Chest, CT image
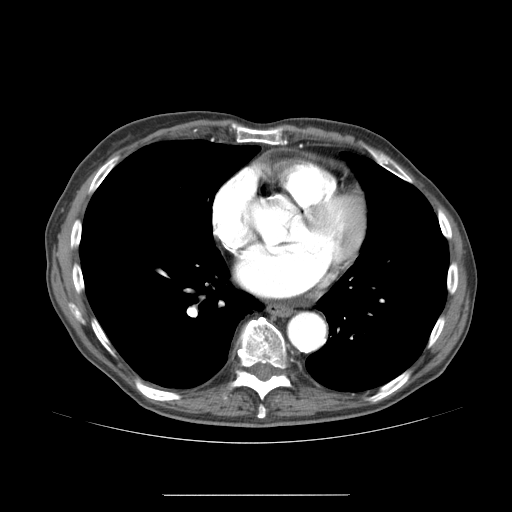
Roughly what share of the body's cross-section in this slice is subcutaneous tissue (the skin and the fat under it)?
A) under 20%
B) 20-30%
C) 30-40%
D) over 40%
Answer: A) under 20%
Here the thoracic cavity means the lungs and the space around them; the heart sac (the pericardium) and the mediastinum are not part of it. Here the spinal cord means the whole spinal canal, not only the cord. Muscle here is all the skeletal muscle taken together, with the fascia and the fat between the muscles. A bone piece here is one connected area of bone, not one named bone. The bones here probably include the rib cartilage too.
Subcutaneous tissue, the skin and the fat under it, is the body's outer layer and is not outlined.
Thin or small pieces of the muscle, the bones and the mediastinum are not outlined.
Outlines:
mediastinum 1: (257, 298) (282, 301) (296, 298) (318, 299) (314, 307) (324, 314) (328, 324) (329, 337) (319, 349) (305, 359) (303, 364) (304, 368) (297, 364) (293, 365) (290, 362) (287, 344) (282, 332) (263, 315) (250, 318) (237, 331) (239, 322) (248, 312) (263, 309) (263, 304)
mediastinum 2: (298, 142) (324, 146) (351, 148) (359, 152) (359, 154) (350, 151) (342, 151) (339, 154) (340, 158) (345, 161) (347, 165) (332, 157) (292, 147) (272, 148) (254, 157) (260, 151) (260, 147) (258, 145) (231, 143) (262, 143) (272, 146) (286, 146) (288, 144)
muscle 1: (102, 163) (88, 186) (87, 194) (91, 196) (82, 221) (76, 218) (71, 226) (70, 247) (78, 249) (79, 255) (79, 263) (72, 264) (71, 277) (75, 291) (78, 294) (84, 291) (94, 315) (90, 319) (93, 333) (114, 358) (118, 357) (116, 351) (138, 375) (134, 385) (149, 399) (179, 400) (182, 395) (173, 390) (191, 389) (209, 381) (225, 372) (236, 355) (238, 365) (233, 371) (234, 378) (225, 383) (225, 390) (230, 392) (248, 387) (261, 401) (275, 388) (293, 387) (285, 372) (290, 364) (304, 378) (330, 390) (359, 393) (377, 388) (365, 398) (371, 403) (405, 384) (413, 372) (410, 367) (425, 347) (429, 349) (435, 343) (443, 330) (446, 318) (442, 311) (448, 293) (452, 295) (457, 289) (459, 272) (457, 262) (450, 262) (448, 241) (452, 238) (452, 228) (448, 217) (440, 206) (436, 213) (434, 211) (398, 163) (441, 202) (459, 230) (469, 285) (469, 305) (463, 330) (441, 363) (389, 398) (370, 405) (318, 411) (312, 415) (260, 419) (266, 416) (262, 402) (257, 408) (257, 418) (188, 413) (151, 403) (87, 349) (58, 305) (51, 285) (52, 250) (56, 235) (77, 191), around a hole outlined by (69, 302) (72, 302) (73, 303) (74, 303) (76, 305) (76, 306) (80, 311) (82, 317) (84, 319) (84, 320) (85, 321) (85, 323) (84, 324) (81, 323) (79, 321) (78, 321) (75, 318) (75, 317) (71, 312) (71, 311) (70, 310) (70, 309) (68, 306) (68, 303)
muscle 2: (198, 119) (211, 119) (212, 120) (232, 119) (243, 124) (235, 121) (233, 121) (230, 124) (228, 131) (232, 134) (234, 142) (224, 141) (213, 135) (202, 137) (196, 136) (161, 139) (140, 147) (120, 161) (121, 157) (118, 154) (106, 160) (115, 151) (156, 130)
muscle 3: (282, 124) (291, 124) (299, 127) (313, 126) (325, 130) (336, 131) (341, 134) (352, 135) (356, 139) (360, 139) (372, 146) (367, 144) (363, 146) (369, 156) (347, 146) (324, 145) (317, 143) (307, 143) (304, 141) (289, 143) (289, 138) (284, 134) (284, 127) (279, 125)
thoracic cavity 1: (209, 136) (234, 145) (259, 147) (215, 193) (211, 227) (229, 280) (236, 288) (254, 296) (263, 307) (248, 311) (238, 322) (236, 354) (225, 371) (191, 388) (165, 390) (148, 385) (126, 362) (92, 310) (80, 265) (82, 222) (92, 195) (112, 169) (132, 153) (161, 140)
thoracic cavity 2: (342, 152) (368, 156) (392, 174) (415, 186) (436, 214) (449, 253) (445, 303) (421, 353) (394, 378) (376, 388) (359, 392) (330, 389) (304, 377) (294, 366) (304, 369) (306, 359) (330, 337) (326, 316) (315, 306) (355, 262) (367, 231) (365, 194) (347, 162) (341, 158)
bones 1: (260, 316) (273, 324) (284, 338) (287, 355) (291, 363) (284, 372) (292, 384) (291, 388) (284, 386) (273, 388) (262, 400) (257, 392) (248, 386) (239, 386) (230, 391) (226, 390) (226, 383) (235, 378) (234, 371) (239, 365) (236, 353) (236, 339) (239, 331) (247, 321) with a hole at (257, 363) (261, 363) (262, 364) (265, 364) (267, 363) (271, 365) (275, 369) (275, 373) (273, 374) (269, 378) (265, 380) (262, 380) (260, 379) (257, 376) (256, 376) (253, 373) (251, 372) (251, 368) (255, 364)
bones 2: (233, 122) (238, 123) (250, 128) (255, 128) (256, 129) (269, 129) (270, 128) (274, 128) (278, 126) (281, 126) (283, 127) (283, 134) (288, 138) (288, 143) (286, 145) (272, 145) (262, 142) (243, 142) (242, 143) (237, 143) (234, 140) (233, 134) (229, 131) (229, 128)
bones 3: (365, 145) (367, 145) (370, 147) (372, 147) (378, 151) (383, 152) (388, 155) (391, 158) (392, 158) (412, 179) (413, 181) (413, 184) (400, 178) (395, 174) (392, 173) (390, 171) (389, 171) (387, 169) (377, 163) (370, 156) (364, 146)
bones 4: (409, 368) (412, 370) (412, 372) (406, 382) (404, 383) (399, 388) (398, 388) (390, 394) (378, 400) (376, 402) (371, 402) (368, 400) (366, 400) (366, 398) (374, 394) (378, 390) (378, 388) (379, 387) (384, 385) (386, 383) (394, 379) (404, 371)
bones 5: (137, 377) (139, 377) (142, 380) (142, 381) (148, 386) (150, 386) (153, 388) (159, 389) (160, 390) (172, 391) (173, 392) (180, 394) (181, 395) (181, 397) (179, 399) (172, 399) (171, 400) (157, 400) (156, 399) (149, 398) (142, 394) (137, 389) (135, 385) (135, 379)
bones 6: (117, 155) (118, 155) (120, 157) (119, 161) (106, 175) (106, 176) (102, 180) (102, 181) (94, 191) (94, 192) (91, 195) (88, 194) (88, 189) (89, 188) (89, 186) (92, 181) (92, 179) (94, 177) (98, 169) (106, 161) (107, 161) (112, 157) (116, 156)
bones 7: (94, 316) (96, 318) (98, 323) (100, 325) (104, 333) (108, 338) (110, 343) (115, 349) (115, 352) (117, 356) (116, 358) (114, 357) (102, 345) (102, 344) (94, 333) (93, 331) (93, 329) (91, 326) (91, 319) (92, 317)
bones 8: (453, 261) (456, 262) (456, 263) (457, 264) (457, 271) (458, 272) (458, 279) (457, 280) (457, 286) (456, 287) (456, 289) (455, 290) (455, 291) (452, 294) (450, 294) (447, 290) (447, 274) (448, 273) (448, 269) (449, 268) (449, 265) (450, 264) (450, 263)
bones 9: (440, 207) (443, 210) (450, 224) (450, 227) (451, 228) (451, 238) (449, 240) (448, 240) (443, 235) (441, 231) (441, 229) (440, 228) (440, 225) (439, 224) (439, 221) (438, 220) (438, 217) (437, 216) (437, 209)
bones 10: (441, 314) (443, 315) (445, 318) (445, 321) (444, 322) (444, 325) (442, 328) (442, 330) (440, 334) (434, 342) (434, 343) (429, 348) (427, 348) (426, 347) (426, 345) (428, 342) (428, 340) (429, 339) (430, 334) (432, 331) (432, 329) (435, 323) (437, 321) (439, 316)
bones 11: (74, 263) (78, 263) (79, 264) (80, 268) (81, 269) (81, 272) (82, 273) (82, 277) (83, 278) (83, 283) (84, 284) (84, 290) (80, 293) (78, 293) (76, 291) (76, 289) (75, 288) (75, 286) (73, 282) (73, 278) (72, 277) (72, 268) (73, 267) (73, 264)
bones 12: (76, 219) (79, 219) (81, 221) (81, 235) (80, 236) (80, 241) (79, 242) (79, 245) (78, 246) (78, 248) (72, 248) (71, 247) (71, 230) (72, 229) (72, 226) (73, 225) (73, 224) (74, 223) (74, 222) (75, 221) (75, 220)
bones 13: (69, 302) (72, 302) (73, 303) (74, 303) (76, 305) (76, 306) (80, 311) (82, 317) (84, 319) (84, 320) (85, 321) (85, 323) (84, 324) (81, 323) (79, 321) (78, 321) (75, 318) (75, 317) (71, 312) (71, 311) (70, 310) (70, 309) (68, 306) (68, 303)
spinal cord: (257, 363) (261, 363) (262, 364) (265, 364) (267, 363) (271, 365) (275, 369) (275, 373) (273, 374) (269, 378) (265, 380) (262, 380) (260, 379) (257, 376) (256, 376) (253, 373) (251, 372) (251, 368) (255, 364)
pericardium: (281, 148) (299, 149) (332, 158) (345, 164) (359, 183) (364, 194) (367, 209) (366, 231) (359, 253) (354, 262) (317, 299) (308, 297) (296, 297) (285, 300) (262, 299) (236, 287) (230, 280) (228, 263) (213, 236) (212, 206) (216, 193) (221, 186) (254, 158) (269, 150)
torso: (186, 110) (226, 112) (256, 122) (305, 116) (357, 124) (386, 138) (439, 188) (465, 227) (476, 263) (477, 290) (467, 335) (438, 377) (362, 416) (289, 426) (220, 426) (177, 420) (140, 406) (80, 353) (48, 296) (44, 232) (49, 216) (77, 165) (106, 135) (139, 118)